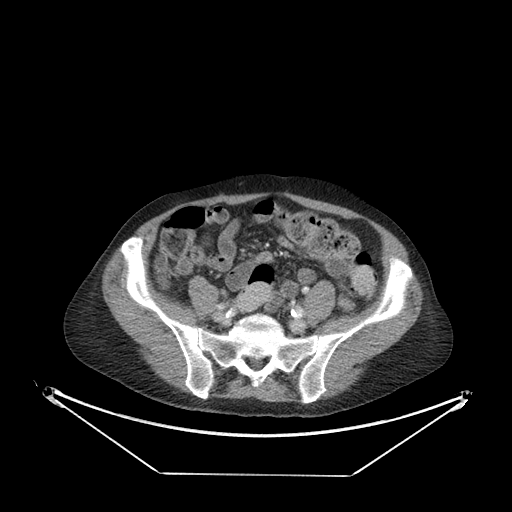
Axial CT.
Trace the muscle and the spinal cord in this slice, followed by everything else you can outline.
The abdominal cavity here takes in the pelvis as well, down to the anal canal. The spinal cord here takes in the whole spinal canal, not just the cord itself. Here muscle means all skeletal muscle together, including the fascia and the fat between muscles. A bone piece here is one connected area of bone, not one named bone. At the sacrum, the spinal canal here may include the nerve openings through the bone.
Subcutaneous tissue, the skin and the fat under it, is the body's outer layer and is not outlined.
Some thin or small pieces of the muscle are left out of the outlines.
{"muscle":[[[274,191],[287,191],[339,205],[380,224],[404,245],[409,255],[410,264],[421,284],[423,292],[422,308],[415,323],[397,342],[369,361],[363,375],[350,389],[327,399],[317,400],[327,390],[324,379],[325,371],[335,350],[342,342],[364,327],[396,316],[405,306],[408,287],[413,278],[411,266],[399,257],[391,256],[388,260],[388,274],[376,308],[368,316],[345,330],[321,334],[314,333],[324,321],[311,321],[303,301],[312,288],[321,280],[327,280],[333,285],[335,301],[331,314],[336,316],[358,313],[373,303],[380,294],[383,284],[382,241],[380,234],[369,223],[361,218],[347,218],[339,214],[308,207],[286,196],[276,194],[237,204],[230,204],[224,201],[205,204],[192,203],[174,209],[157,227],[148,258],[149,277],[158,292],[187,306],[192,304],[188,293],[188,284],[194,276],[201,276],[215,286],[217,288],[217,298],[209,312],[199,319],[199,325],[183,323],[170,317],[156,303],[147,285],[147,273],[142,254],[144,239],[142,236],[131,235],[146,221],[183,202],[208,198],[221,193],[231,195]],[[119,246],[119,251],[122,255],[126,267],[124,280],[125,289],[128,295],[140,306],[154,312],[174,335],[182,352],[186,365],[184,384],[193,395],[178,390],[158,377],[150,369],[136,350],[136,344],[114,319],[103,299],[101,289],[102,274],[114,250]],[[304,360],[306,360],[301,367],[297,380],[301,403],[287,401],[262,401],[253,397],[208,398],[209,392],[214,384],[213,363],[223,370],[230,367],[234,367],[241,375],[249,378],[251,381],[251,385],[256,388],[276,370],[278,369],[285,373],[291,373]]],"spinal_cord":[[[252,358],[253,358],[256,360],[258,360],[259,359],[261,359],[262,360],[263,360],[263,361],[264,362],[264,364],[263,365],[263,366],[260,369],[259,369],[258,370],[254,370],[253,369],[252,369],[249,365],[249,361],[250,360],[250,359],[251,359]]],"abdominal_cavity":[[[271,195],[369,224],[381,241],[379,294],[358,312],[332,314],[335,288],[321,279],[302,302],[311,322],[323,322],[306,336],[286,335],[262,312],[226,333],[205,329],[199,321],[218,288],[194,275],[190,305],[156,289],[149,258],[158,227],[185,205]]],"bones":[{"outer":[[130,236],[143,239],[155,303],[217,334],[255,313],[274,318],[288,337],[345,331],[379,305],[391,257],[412,278],[396,315],[337,346],[315,401],[301,402],[306,359],[256,387],[234,366],[213,362],[203,399],[185,384],[171,329],[126,289],[120,246]],"hole":[[252,358],[253,358],[256,360],[258,360],[259,359],[261,359],[262,360],[263,360],[263,361],[264,362],[264,364],[263,365],[263,366],[260,369],[259,369],[258,370],[254,370],[253,369],[252,369],[249,365],[249,361],[250,360],[250,359],[251,359]]}],"torso":[[[250,173],[305,175],[339,183],[357,191],[390,216],[422,255],[435,293],[450,319],[454,340],[448,360],[440,368],[391,395],[351,410],[316,418],[246,418],[175,408],[133,392],[79,361],[63,336],[64,312],[77,287],[124,222],[142,206],[165,193]]]}